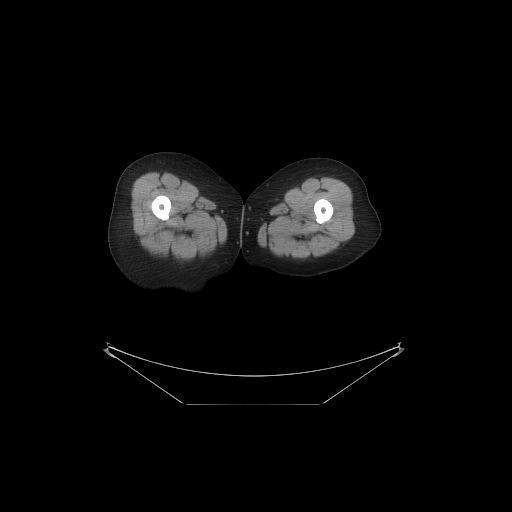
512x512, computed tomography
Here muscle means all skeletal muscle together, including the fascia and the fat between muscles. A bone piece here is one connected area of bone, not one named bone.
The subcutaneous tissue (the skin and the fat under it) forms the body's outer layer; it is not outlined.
The bones appear in 2 outlined pieces: piece 1: 160 194; 163 194; 164 195; 166 195; 167 196; 168 196; 168 197; 171 202; 171 209; 169 212; 169 218; 167 220; 162 220; 161 219; 156 217; 153 214; 153 213; 151 210; 151 208; 152 207; 151 206; 151 201; 156 196; 157 196; piece 2: 319 198; 325 198; 327 199; 332 204; 333 206; 333 214; 330 219; 328 221; 324 222; 323 223; 321 223; 320 224; 316 221; 315 219; 316 218; 315 217; 315 214; 313 211; 313 206; 314 205; 314 203; 316 201; 316 200; 317 200. The muscle appears in 2 outlined pieces: piece 1: 152 170; 163 170; 174 172; 193 182; 215 202; 217 207; 225 216; 227 220; 228 223; 228 236; 225 243; 215 255; 197 266; 174 267; 158 263; 151 258; 149 254; 142 248; 133 236; 132 221; 129 209; 129 199; 132 184; 140 174, around a hole outlined by 160 194; 163 194; 164 195; 166 195; 167 196; 168 196; 168 197; 171 202; 171 209; 169 212; 169 218; 167 220; 162 220; 161 219; 156 217; 153 214; 153 213; 151 210; 151 208; 152 207; 151 206; 151 201; 156 196; 157 196; piece 2: 320 173; 343 178; 346 180; 349 185; 353 194; 353 204; 355 212; 356 228; 354 235; 335 254; 323 260; 314 262; 297 263; 291 261; 283 261; 279 260; 275 256; 262 250; 258 246; 257 242; 257 227; 263 211; 269 202; 305 178; inner edge: 319 198; 325 198; 327 199; 332 204; 333 206; 333 214; 330 219; 328 221; 324 222; 323 223; 321 223; 320 224; 316 221; 315 219; 316 218; 315 217; 315 214; 313 211; 313 206; 314 205; 314 203; 316 201; 316 200; 317 200. The left leg is outlined by 317 156; 338 160; 348 165; 359 174; 365 183; 370 202; 376 210; 381 223; 380 238; 371 250; 350 265; 320 275; 310 277; 290 276; 280 274; 267 268; 249 265; 241 252; 241 227; 244 202; 249 194; 259 184; 283 166; 303 158. The right leg is outlined by 158 151; 177 151; 199 159; 224 178; 239 193; 243 201; 240 251; 236 261; 231 271; 215 279; 211 284; 211 289; 203 295; 188 296; 171 289; 157 291; 140 289; 128 281; 120 272; 109 250; 108 222; 117 181; 123 170; 134 160.